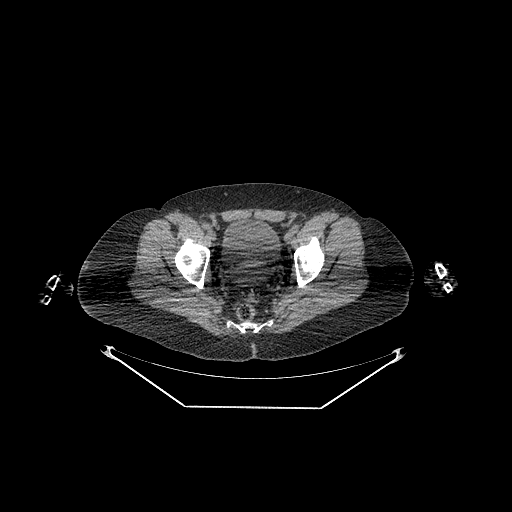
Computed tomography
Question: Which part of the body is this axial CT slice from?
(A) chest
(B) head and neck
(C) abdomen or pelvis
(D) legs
Answer: (C) abdomen or pelvis
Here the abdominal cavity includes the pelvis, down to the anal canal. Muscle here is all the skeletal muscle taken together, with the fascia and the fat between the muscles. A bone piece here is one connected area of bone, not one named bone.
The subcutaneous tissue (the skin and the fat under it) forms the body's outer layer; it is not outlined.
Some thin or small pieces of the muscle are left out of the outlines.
{"muscle":[{"outer":[[250,207],[291,209],[308,214],[331,208],[355,219],[361,227],[365,245],[364,261],[368,279],[367,287],[358,301],[308,320],[290,331],[232,338],[213,335],[185,321],[181,316],[146,307],[132,297],[128,282],[138,238],[147,222],[174,209],[199,214]],"hole":[[220,218],[284,221],[295,248],[314,235],[324,252],[321,270],[302,288],[292,267],[288,291],[267,315],[252,321],[274,320],[257,333],[226,328],[227,320],[242,320],[212,292],[209,264],[203,288],[198,290],[174,262],[185,237],[209,248]]},[[60,277],[64,280],[66,285],[66,293],[63,300],[55,307],[46,307],[49,305],[52,300],[51,297],[50,299],[47,296],[43,298],[42,305],[39,299],[42,289],[48,282],[50,284],[48,289],[49,290],[55,289],[58,286]],[[433,264],[434,264],[435,275],[439,279],[443,280],[448,274],[448,270],[446,267],[449,268],[453,278],[453,283],[452,284],[451,282],[446,281],[441,285],[440,287],[447,292],[441,296],[434,295],[432,293],[428,284],[427,280],[428,270],[430,266]]],"right_arm":[[[59,270],[60,271],[62,271],[67,276],[68,279],[71,282],[72,286],[73,287],[73,292],[70,297],[69,301],[67,303],[66,303],[65,305],[58,309],[50,309],[38,304],[37,302],[37,299],[38,298],[38,293],[45,279],[46,280],[53,273]]],"left_arm":[[[436,258],[440,258],[448,263],[454,275],[455,279],[458,282],[458,287],[457,289],[456,289],[451,295],[449,295],[444,298],[436,298],[434,297],[431,294],[430,294],[426,286],[424,284],[423,276],[424,275],[426,267],[427,265],[432,260]]],"torso":[[[244,182],[290,184],[323,192],[387,226],[406,249],[414,272],[408,303],[398,316],[312,354],[236,362],[202,359],[166,348],[105,324],[81,307],[76,294],[81,265],[96,241],[118,218],[140,208],[159,208],[168,199],[190,190]]],"bones":[[[185,237],[190,237],[192,238],[195,242],[200,243],[208,247],[210,251],[209,262],[204,276],[204,285],[203,288],[200,290],[198,290],[195,285],[189,283],[187,280],[183,277],[176,267],[174,262],[173,257],[175,255],[179,247],[182,244],[183,240]],[[312,235],[317,236],[319,239],[320,246],[324,252],[324,264],[316,277],[307,283],[304,287],[300,288],[297,286],[297,283],[296,282],[296,275],[295,274],[295,268],[293,261],[293,253],[295,248],[301,243],[303,244],[304,243],[307,243],[310,236]],[[245,319],[248,319],[250,321],[257,323],[262,323],[268,319],[273,319],[274,322],[272,326],[270,327],[264,326],[257,333],[254,333],[250,328],[248,328],[246,332],[242,334],[237,328],[231,327],[227,329],[226,321],[232,320],[238,323]],[[436,263],[440,263],[441,264],[442,264],[444,266],[445,266],[445,267],[446,268],[446,269],[447,270],[447,274],[445,276],[445,277],[443,279],[441,279],[440,278],[439,278],[436,275],[436,271],[435,270],[435,264]],[[54,274],[56,274],[59,277],[59,278],[58,279],[58,280],[56,282],[57,283],[57,285],[55,288],[54,288],[53,289],[49,289],[50,288],[50,286],[51,285],[51,284],[50,283],[50,282],[48,280],[48,279],[50,276],[51,276]],[[446,282],[449,282],[450,283],[451,283],[451,284],[452,285],[452,288],[451,289],[451,290],[450,290],[449,291],[446,291],[444,289],[443,289],[441,287],[442,286],[442,285],[443,285]],[[47,297],[48,297],[49,298],[49,299],[50,300],[51,299],[51,298],[51,300],[49,302],[49,303],[48,304],[48,305],[47,305],[46,306],[45,306],[44,305],[43,305],[44,304],[44,298],[46,298]]],"abdominal_cavity":[[[220,218],[225,221],[247,218],[269,222],[284,221],[290,227],[294,247],[291,269],[293,281],[288,291],[270,309],[267,315],[254,320],[239,319],[228,311],[226,306],[212,292],[209,284],[211,280],[209,264],[210,247],[212,245],[211,235],[217,220]]]}